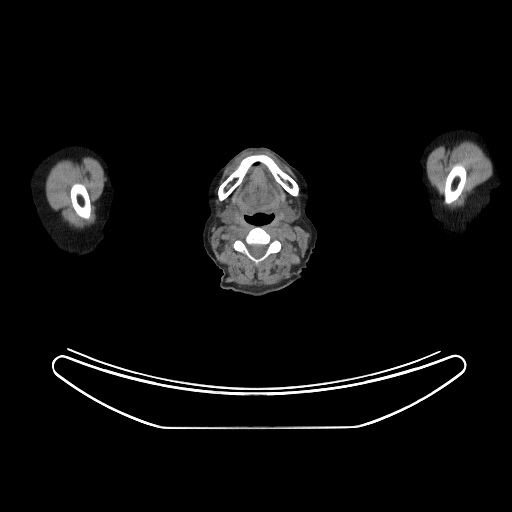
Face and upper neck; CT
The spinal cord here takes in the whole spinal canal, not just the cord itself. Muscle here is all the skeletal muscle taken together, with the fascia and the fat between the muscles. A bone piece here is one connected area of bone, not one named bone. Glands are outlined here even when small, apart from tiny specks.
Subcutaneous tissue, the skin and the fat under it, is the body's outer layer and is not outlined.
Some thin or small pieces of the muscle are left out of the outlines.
{"muscle":[{"outer":[[249,151],[266,151],[271,153],[294,173],[298,184],[267,154],[251,154],[245,156],[218,186],[216,191],[217,199],[221,202],[227,198],[242,182],[251,166],[261,163],[268,169],[275,181],[291,196],[297,197],[300,187],[299,208],[301,218],[305,228],[311,235],[305,255],[295,269],[295,273],[278,283],[270,285],[240,285],[227,281],[226,271],[217,260],[210,245],[210,229],[216,219],[215,190],[219,180],[228,166]],"holes":[[[258,213],[271,214],[273,216],[269,222],[263,223],[260,226],[274,238],[278,239],[281,244],[278,252],[270,254],[260,264],[260,274],[258,274],[252,262],[243,253],[236,251],[233,247],[233,243],[237,239],[243,238],[257,225],[248,222],[245,217]],[[283,202],[287,202],[291,206],[292,206],[294,208],[295,208],[297,210],[297,212],[298,213],[298,218],[297,219],[296,219],[295,220],[293,220],[292,221],[286,221],[283,218],[282,218],[282,216],[281,215],[281,210],[282,209],[282,203]],[[229,204],[231,204],[232,205],[232,207],[235,210],[235,218],[233,220],[233,221],[232,221],[231,222],[229,222],[228,223],[224,223],[221,220],[221,218],[220,217],[220,213]]]},{"outer":[[84,156],[90,156],[98,160],[103,168],[105,182],[103,191],[95,203],[96,205],[96,221],[95,223],[83,229],[76,229],[69,226],[62,221],[60,213],[57,211],[54,211],[50,207],[45,194],[45,180],[49,170],[58,160],[79,157],[82,158]],"hole":[[75,183],[81,183],[83,184],[87,190],[87,192],[89,196],[89,199],[90,200],[90,208],[91,209],[90,210],[90,217],[89,219],[85,219],[79,216],[76,213],[72,205],[72,202],[71,201],[71,198],[70,197],[70,190],[71,189],[72,185]]},{"outer":[[464,140],[474,141],[480,146],[490,162],[492,174],[485,182],[478,185],[473,189],[472,192],[468,195],[462,207],[448,209],[443,207],[441,203],[442,198],[430,184],[427,178],[426,162],[428,155],[436,147],[440,145],[444,145],[446,147],[452,147]],"hole":[[455,164],[461,164],[465,168],[466,170],[466,179],[465,180],[465,183],[462,189],[462,191],[459,195],[459,196],[457,198],[457,199],[451,204],[449,205],[446,205],[444,203],[444,188],[445,187],[445,181],[446,180],[447,175],[451,170],[452,167]]}],"right_arm":[[[69,144],[87,145],[101,153],[108,165],[109,176],[114,188],[113,200],[110,206],[109,217],[105,224],[105,235],[101,242],[101,245],[95,251],[81,256],[73,256],[65,253],[54,244],[46,233],[36,213],[30,189],[30,178],[37,164],[54,150]]],"bones":[[[259,154],[264,154],[270,157],[285,173],[297,183],[299,187],[298,195],[297,196],[291,195],[276,181],[272,173],[263,163],[256,162],[250,166],[241,182],[231,193],[223,200],[221,201],[219,200],[217,196],[217,191],[219,186],[237,168],[245,157]],{"outer":[[255,226],[260,226],[262,227],[274,238],[278,239],[281,244],[281,248],[278,252],[270,254],[260,264],[259,266],[260,274],[258,274],[257,271],[254,268],[252,262],[243,253],[236,251],[233,247],[233,243],[237,239],[243,238],[244,236]],"hole":[[248,245],[267,245],[267,248],[266,249],[266,250],[265,251],[265,252],[261,256],[260,256],[259,257],[255,257],[254,256],[253,256],[250,253],[250,252],[249,251],[249,250],[248,249],[248,248],[247,247],[247,246]]},[[455,164],[461,164],[465,168],[466,170],[466,179],[465,180],[465,183],[462,189],[462,191],[459,195],[459,196],[457,198],[457,199],[451,204],[449,205],[446,205],[444,203],[444,188],[445,187],[445,181],[446,180],[447,175],[451,170],[452,167]],[[75,183],[81,183],[83,184],[87,190],[87,192],[89,196],[89,199],[90,200],[90,208],[91,209],[90,210],[90,217],[89,219],[85,219],[79,216],[76,213],[72,205],[72,202],[71,201],[71,198],[70,197],[70,190],[71,189],[72,185]]],"submandibular_glands":[[[283,202],[287,202],[291,206],[292,206],[294,208],[295,208],[297,210],[297,212],[298,213],[298,218],[297,219],[296,219],[295,220],[293,220],[292,221],[286,221],[283,218],[282,218],[282,216],[281,215],[281,210],[282,209],[282,203]],[[229,204],[231,204],[232,205],[232,207],[235,210],[235,218],[233,220],[233,221],[232,221],[231,222],[229,222],[228,223],[224,223],[221,220],[221,218],[220,217],[220,213]]],"head_and_neck":[{"outer":[[259,146],[269,148],[279,154],[305,178],[309,189],[305,212],[316,229],[317,238],[307,265],[301,271],[301,279],[279,291],[252,296],[219,286],[222,271],[207,254],[203,245],[202,233],[204,224],[210,214],[207,191],[212,178],[237,153],[248,147]],"hole":[[258,213],[261,213],[262,214],[269,214],[270,215],[271,214],[273,216],[273,217],[269,222],[268,222],[267,223],[263,223],[261,225],[257,225],[254,223],[250,223],[249,222],[248,222],[246,220],[245,217],[246,216],[251,216],[254,214],[257,214]]}],"spinal_cord":[[[248,245],[267,245],[267,248],[266,249],[266,250],[265,251],[265,252],[261,256],[260,256],[259,257],[255,257],[254,256],[253,256],[250,253],[250,252],[249,251],[249,250],[248,249],[248,248],[247,247],[247,246]]],"left_arm":[[[454,128],[469,128],[478,131],[490,154],[500,182],[499,187],[491,192],[490,204],[468,226],[466,233],[459,240],[448,239],[433,225],[432,223],[434,218],[430,211],[428,195],[425,186],[421,181],[422,167],[419,161],[425,146],[432,139],[442,132]]]}